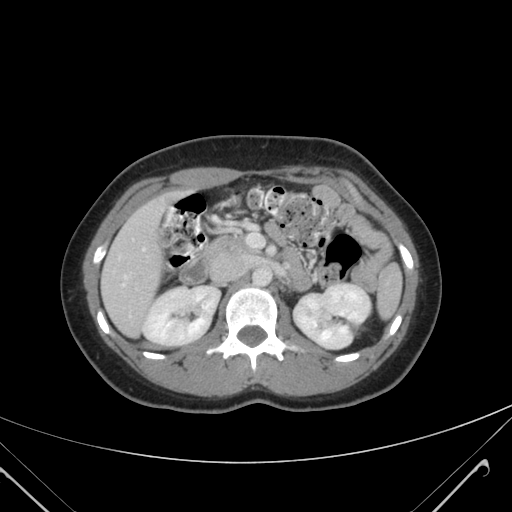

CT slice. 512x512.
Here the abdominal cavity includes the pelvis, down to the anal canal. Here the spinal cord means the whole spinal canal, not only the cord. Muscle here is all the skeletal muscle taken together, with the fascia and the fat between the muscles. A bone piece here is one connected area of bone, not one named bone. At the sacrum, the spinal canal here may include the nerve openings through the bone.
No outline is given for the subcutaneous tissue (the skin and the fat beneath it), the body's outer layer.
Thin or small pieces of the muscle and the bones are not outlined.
{"abdominal_cavity":[[[335,354],[379,339],[401,303],[404,273],[387,231],[332,185],[251,175],[217,186],[167,190],[138,207],[112,237],[100,264],[98,293],[108,322],[134,347],[165,353],[199,340],[230,294],[254,285],[267,288],[277,303],[281,299],[286,304],[300,334]]],"bones":[{"outer":[[254,372],[256,358],[263,352],[282,360],[284,350],[299,351],[301,349],[294,344],[288,344],[276,335],[278,308],[271,293],[267,289],[246,286],[232,293],[225,306],[227,336],[217,346],[208,348],[206,353],[221,352],[225,359],[239,353],[246,354]],"hole":[[250,346],[254,346],[255,345],[258,344],[262,340],[263,340],[266,337],[266,333],[260,327],[259,327],[258,326],[245,326],[243,328],[242,328],[239,331],[239,332],[237,335],[238,338],[241,341],[242,341],[244,343],[245,343],[246,344],[247,344]]},[[409,270],[411,270],[413,268],[413,260],[412,259],[412,257],[409,251],[407,249],[407,248],[402,243],[400,242],[398,242],[396,243],[396,246],[398,249],[398,251],[400,254],[400,256],[405,266],[407,268],[407,269]],[[107,334],[111,334],[111,332],[110,331],[110,327],[109,326],[109,324],[107,322],[107,320],[105,318],[105,316],[104,315],[101,308],[100,308],[97,311],[97,314],[96,315],[96,319],[97,320],[97,322],[98,323],[100,328],[105,333],[106,333]],[[94,264],[98,264],[101,261],[101,260],[103,258],[103,257],[105,254],[105,252],[106,251],[106,248],[107,247],[107,245],[108,244],[108,241],[106,241],[103,244],[98,246],[96,248],[96,249],[93,254],[93,257],[92,258],[92,262]],[[338,362],[346,362],[347,361],[351,361],[352,360],[354,360],[355,359],[356,359],[360,355],[360,353],[358,351],[356,351],[355,352],[352,352],[351,353],[348,353],[347,354],[342,354],[341,355],[338,355],[334,358],[334,360],[335,361],[337,361]],[[389,336],[390,336],[395,333],[395,332],[397,330],[397,329],[398,328],[398,327],[401,322],[401,320],[402,319],[402,316],[399,313],[396,314],[395,317],[393,319],[393,320],[392,321],[392,322],[389,327],[389,330],[388,331],[388,333],[389,334]]],"spinal_cord":[[[250,346],[254,346],[255,345],[258,344],[262,340],[263,340],[266,337],[266,333],[260,327],[259,327],[258,326],[245,326],[243,328],[242,328],[239,331],[239,332],[237,335],[238,338],[241,341],[242,341],[244,343],[245,343],[246,344],[247,344]]],"torso":[[[191,414],[220,414],[253,403],[293,412],[350,407],[393,388],[419,357],[441,304],[436,244],[416,210],[355,148],[335,139],[303,135],[218,134],[188,139],[126,166],[75,228],[62,259],[59,289],[64,317],[79,349],[102,379],[126,398],[147,407]]],"muscle":[{"outer":[[205,397],[225,397],[226,396],[234,395],[243,391],[250,386],[256,384],[257,385],[260,385],[266,389],[282,396],[309,396],[310,395],[315,395],[316,394],[321,394],[322,393],[331,393],[332,392],[335,392],[347,388],[357,383],[369,375],[373,371],[376,370],[378,367],[391,355],[404,339],[416,304],[417,288],[419,283],[419,276],[420,275],[419,274],[419,260],[417,256],[417,253],[408,231],[395,212],[356,174],[348,169],[342,167],[337,167],[336,166],[293,166],[292,167],[277,168],[276,169],[267,169],[266,170],[238,170],[228,167],[218,167],[217,166],[197,166],[196,167],[184,168],[174,171],[169,174],[145,177],[136,181],[130,185],[115,201],[111,209],[102,220],[90,242],[90,244],[85,253],[84,259],[82,263],[82,283],[83,284],[82,287],[83,288],[83,291],[84,292],[84,295],[86,299],[86,302],[88,306],[89,312],[92,317],[98,334],[102,340],[116,354],[125,361],[130,367],[150,382],[172,391],[175,391],[180,393],[185,393],[186,394],[192,394],[198,396],[204,396]],"hole":[[254,372],[263,352],[282,360],[284,350],[301,350],[275,333],[278,299],[297,331],[337,354],[338,362],[356,359],[394,315],[389,336],[401,322],[395,313],[404,288],[401,261],[413,268],[409,251],[328,183],[251,175],[167,190],[138,207],[93,254],[92,262],[100,264],[102,307],[96,319],[105,333],[111,334],[111,326],[144,356],[164,359],[203,337],[224,305],[227,336],[206,353],[221,352],[225,359],[246,354]]}]}